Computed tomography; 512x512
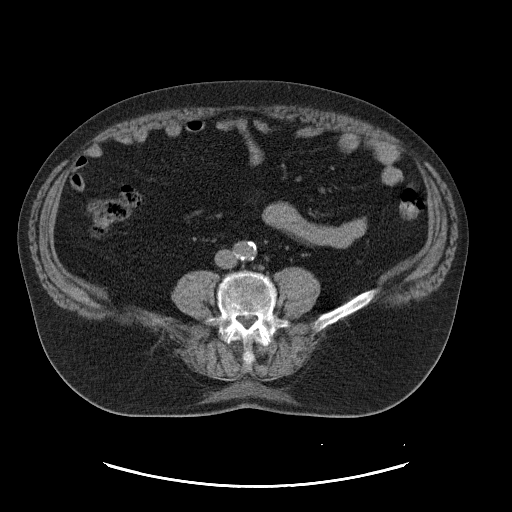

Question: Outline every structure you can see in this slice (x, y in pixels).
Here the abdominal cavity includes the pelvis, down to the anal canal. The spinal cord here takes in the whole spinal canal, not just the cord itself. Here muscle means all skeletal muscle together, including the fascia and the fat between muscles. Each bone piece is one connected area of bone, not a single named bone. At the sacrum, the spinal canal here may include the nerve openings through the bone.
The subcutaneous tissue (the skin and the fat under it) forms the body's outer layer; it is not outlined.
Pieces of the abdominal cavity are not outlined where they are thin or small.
Answer: The spinal cord is outlined by [[238,316],[245,316],[246,317],[247,317],[248,318],[249,317],[250,317],[251,316],[254,316],[255,317],[256,317],[256,318],[255,319],[255,320],[248,327],[246,327],[245,326],[244,326],[244,325],[241,322],[240,322],[237,319],[237,317]]. The bones appear in 2 outlined pieces: piece 1: [[244,270],[269,277],[277,290],[273,313],[290,323],[287,327],[278,328],[267,345],[254,341],[251,343],[254,360],[250,369],[246,368],[242,359],[242,341],[226,343],[220,338],[216,323],[205,323],[207,318],[220,314],[216,299],[218,284],[228,273]]; inner edge: [[238,316],[245,316],[246,317],[247,317],[248,318],[249,317],[250,317],[251,316],[254,316],[255,317],[256,317],[256,318],[255,319],[255,320],[248,327],[246,327],[245,326],[244,326],[244,325],[241,322],[240,322],[237,319],[237,317]]; piece 2: [[372,288],[376,288],[378,291],[371,301],[367,305],[353,312],[351,314],[347,315],[339,319],[336,322],[332,324],[329,324],[317,332],[315,332],[312,329],[311,327],[312,323],[320,314],[324,312],[329,311],[345,303],[358,294],[367,290],[369,290]]. The muscle is outlined by [[240,104],[254,106],[273,104],[295,105],[303,107],[308,106],[320,110],[334,111],[338,113],[347,114],[367,121],[386,130],[396,137],[407,142],[436,170],[447,185],[451,193],[453,202],[456,207],[459,223],[458,236],[456,242],[457,245],[451,266],[444,281],[428,299],[403,306],[375,306],[347,320],[330,334],[304,373],[287,387],[270,387],[250,376],[241,377],[233,382],[216,385],[196,380],[182,367],[175,357],[171,355],[172,353],[167,345],[162,340],[160,340],[150,333],[143,330],[117,326],[82,318],[60,307],[55,303],[42,286],[36,272],[28,245],[27,220],[36,192],[52,170],[65,157],[77,146],[101,130],[126,119],[165,109],[192,106],[217,107]] with a hole at [[228,110],[259,111],[399,144],[422,176],[428,204],[425,244],[378,278],[378,291],[367,305],[317,332],[311,326],[320,314],[302,317],[320,295],[320,281],[300,266],[276,271],[273,313],[290,324],[278,328],[267,345],[251,343],[250,369],[242,359],[242,341],[226,343],[216,323],[205,323],[220,314],[217,273],[196,269],[177,280],[170,299],[190,317],[181,319],[121,303],[70,273],[54,248],[65,180],[92,145]]. The abdominal cavity is outlined by [[228,110],[403,146],[427,193],[425,244],[375,287],[306,319],[321,284],[300,266],[276,271],[276,287],[258,271],[228,272],[218,283],[211,270],[188,271],[170,293],[190,317],[181,319],[121,303],[70,273],[56,255],[54,228],[79,156],[108,139]]. The torso is outlined by [[230,79],[294,81],[371,102],[421,136],[441,158],[459,190],[469,242],[451,331],[427,377],[409,396],[387,410],[361,417],[290,415],[255,408],[193,417],[120,415],[78,395],[43,350],[17,249],[20,208],[42,163],[76,127],[113,103],[164,87]].